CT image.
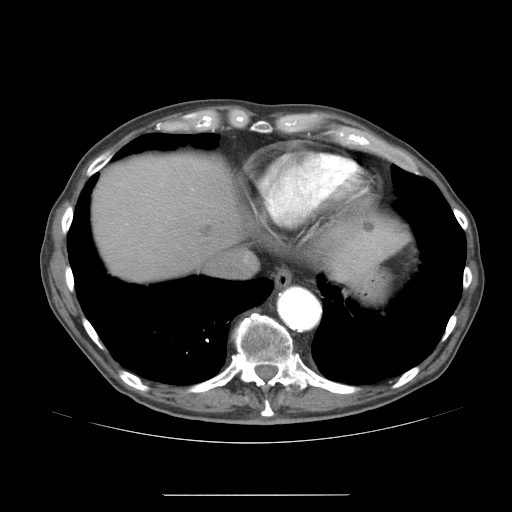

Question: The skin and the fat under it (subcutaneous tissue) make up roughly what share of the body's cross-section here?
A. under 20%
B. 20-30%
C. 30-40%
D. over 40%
Answer: A. under 20%
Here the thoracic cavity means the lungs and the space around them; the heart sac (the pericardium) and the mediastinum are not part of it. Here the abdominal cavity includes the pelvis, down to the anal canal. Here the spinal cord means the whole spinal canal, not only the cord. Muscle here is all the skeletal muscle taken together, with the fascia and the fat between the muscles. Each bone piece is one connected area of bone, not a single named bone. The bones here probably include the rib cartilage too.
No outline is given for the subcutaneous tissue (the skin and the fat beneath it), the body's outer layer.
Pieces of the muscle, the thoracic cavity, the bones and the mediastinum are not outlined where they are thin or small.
Outlines (x, y in pixels):
abdominal cavity 1: (187, 144) (204, 148) (217, 146) (227, 150) (238, 162) (230, 174) (230, 191) (239, 220) (251, 239) (220, 251) (207, 259) (195, 271) (195, 275) (180, 279) (144, 286) (126, 283) (108, 275) (94, 247) (89, 224) (90, 194) (98, 171) (108, 162) (133, 152)
abdominal cavity 2: (379, 204) (380, 206) (391, 206) (407, 220) (415, 234) (421, 251) (419, 273) (393, 301) (384, 317) (373, 311) (358, 307) (351, 300) (348, 300) (343, 305) (340, 290) (326, 282) (321, 274) (314, 281) (312, 271) (296, 256) (310, 240) (322, 231) (355, 212) (378, 206)
torso: (205, 98) (339, 107) (409, 143) (444, 175) (474, 217) (485, 284) (465, 337) (451, 363) (437, 379) (393, 402) (348, 416) (290, 424) (229, 424) (175, 417) (142, 405) (116, 390) (84, 355) (53, 314) (41, 281) (39, 253) (49, 211) (80, 158) (100, 138) (145, 112)
bones 1: (253, 312) (267, 315) (284, 326) (294, 350) (309, 368) (329, 380) (360, 389) (336, 393) (312, 385) (302, 390) (291, 385) (288, 390) (279, 382) (262, 387) (242, 381) (238, 373) (224, 385) (187, 392) (188, 386) (212, 378) (230, 363) (235, 351) (230, 334) (238, 322); inner edge: (259, 365) (270, 365) (271, 366) (275, 366) (276, 367) (277, 367) (277, 372) (271, 378) (270, 378) (269, 379) (268, 379) (267, 380) (264, 380) (262, 378) (261, 378) (256, 373) (256, 372) (255, 371) (255, 367) (256, 366) (258, 366)
bones 2: (233, 108) (244, 111) (251, 123) (265, 120) (272, 124) (276, 118) (294, 113) (321, 114) (324, 121) (310, 133) (285, 133) (276, 130) (261, 133) (232, 127) (223, 119) (221, 128) (215, 131) (156, 131) (154, 127) (158, 122) (176, 120) (189, 112) (212, 109) (224, 114)
bones 3: (333, 123) (342, 124) (365, 131) (381, 139) (392, 147) (402, 151) (413, 160) (423, 175) (417, 175) (409, 172) (401, 168) (395, 163) (393, 163) (391, 161) (374, 153) (357, 148) (344, 146) (339, 143) (331, 141) (327, 136) (321, 135) (321, 133) (323, 131) (330, 128)
bones 4: (120, 369) (124, 369) (125, 370) (127, 370) (129, 372) (138, 376) (141, 379) (142, 382) (144, 384) (147, 385) (149, 387) (149, 389) (147, 391) (143, 391) (142, 390) (137, 389) (136, 388) (127, 384) (122, 379) (121, 379) (121, 378) (118, 374) (118, 371)
bones 5: (106, 150) (110, 150) (113, 153) (114, 153) (114, 154) (109, 160) (109, 161) (108, 161) (107, 163) (105, 164) (105, 165) (104, 165) (99, 170) (95, 172) (89, 177) (86, 174) (86, 171) (88, 167) (90, 165) (90, 164) (100, 154) (101, 154)
bones 6: (83, 316) (84, 316) (92, 325) (95, 331) (97, 333) (99, 337) (99, 339) (106, 348) (106, 350) (102, 350) (100, 348) (99, 348) (98, 346) (88, 335) (87, 332) (85, 330) (82, 324) (82, 321) (81, 320) (81, 318)
bones 7: (417, 365) (419, 366) (420, 369) (417, 373) (417, 374) (413, 378) (412, 378) (409, 381) (406, 382) (404, 384) (398, 387) (396, 387) (395, 388) (391, 388) (391, 386) (392, 384) (393, 384) (397, 380) (399, 376) (400, 376) (406, 371) (409, 370) (411, 368)
bones 8: (69, 205) (70, 205) (73, 207) (73, 216) (72, 217) (72, 220) (71, 221) (71, 224) (69, 227) (69, 229) (68, 230) (66, 235) (64, 235) (62, 232) (62, 228) (61, 227) (61, 218) (62, 217) (62, 215) (63, 214) (65, 209)
bones 9: (453, 313) (454, 313) (457, 317) (456, 319) (456, 323) (452, 331) (449, 334) (447, 338) (444, 341) (442, 342) (440, 342) (440, 340) (445, 331) (445, 328) (448, 322) (448, 320) (451, 316) (451, 315)
bones 10: (452, 208) (457, 208) (458, 209) (461, 210) (465, 214) (465, 215) (467, 218) (467, 227) (465, 230) (463, 230) (463, 229) (460, 226) (459, 223) (457, 221) (457, 220) (456, 219) (456, 218) (455, 217) (455, 216) (453, 213) (453, 211) (452, 210)
bones 11: (67, 265) (69, 265) (70, 266) (70, 267) (71, 268) (71, 271) (73, 274) (73, 279) (74, 280) (74, 292) (72, 292) (71, 291) (70, 291) (70, 290) (68, 288) (68, 287) (67, 286) (67, 284) (66, 283) (66, 281) (65, 280) (65, 268)
bones 12: (265, 398) (267, 398) (267, 399) (268, 400) (268, 401) (269, 402) (269, 405) (270, 406) (270, 407) (271, 408) (271, 409) (273, 411) (273, 415) (272, 416) (263, 416) (262, 415) (261, 415) (261, 412) (264, 409) (264, 407) (265, 406) (265, 405) (264, 404) (264, 399)
pericardium: (287, 141) (321, 144) (343, 150) (357, 156) (374, 168) (382, 177) (383, 197) (378, 205) (355, 211) (322, 230) (310, 239) (306, 245) (303, 246) (296, 254) (277, 255) (266, 251) (246, 232) (236, 210) (232, 196) (231, 174) (240, 160) (247, 157) (254, 151) (275, 142)
muscle: (212, 105) (239, 105) (259, 118) (280, 111) (324, 111) (355, 120) (426, 165) (463, 211) (450, 206) (408, 154) (381, 138) (335, 122) (320, 134) (311, 132) (324, 123) (321, 113) (287, 113) (271, 123) (265, 119) (251, 122) (249, 115) (236, 107) (224, 113) (206, 108) (158, 121) (155, 131) (134, 137) (115, 153) (110, 149) (100, 153) (85, 171) (88, 178) (74, 207) (69, 204) (60, 218) (61, 232) (67, 238) (66, 286) (70, 292) (75, 291) (87, 335) (123, 368) (117, 371) (120, 379) (143, 392) (150, 387) (142, 380) (187, 386) (187, 393) (201, 393) (226, 385) (238, 374) (244, 383) (262, 388) (279, 383) (288, 391) (291, 386) (299, 391) (312, 386) (336, 394) (353, 394) (362, 385) (396, 377) (390, 388) (398, 388) (418, 374) (419, 364) (448, 338) (457, 323) (454, 311) (462, 290) (468, 288) (473, 277) (466, 264) (464, 231) (468, 218) (478, 282) (466, 322) (446, 360) (434, 372) (396, 393) (327, 411) (276, 417) (259, 417) (243, 410) (199, 412) (158, 402) (126, 388) (78, 339) (59, 313) (49, 283) (49, 248) (56, 210) (86, 163) (126, 134) (163, 116) with a hole at (265, 398) (267, 398) (267, 399) (268, 400) (268, 401) (269, 402) (269, 405) (270, 406) (270, 407) (271, 408) (271, 409) (273, 411) (273, 415) (272, 416) (263, 416) (262, 415) (261, 415) (261, 412) (264, 409) (264, 407) (265, 406) (265, 405) (264, 404) (264, 399)
thoracic cavity 1: (97, 172) (89, 194) (88, 224) (93, 247) (108, 276) (144, 287) (191, 276) (272, 281) (264, 301) (231, 320) (230, 326) (234, 326) (229, 339) (234, 351) (229, 363) (212, 377) (189, 385) (142, 379) (111, 355) (85, 316) (75, 290) (67, 234) (80, 192)
thoracic cavity 2: (392, 164) (429, 179) (451, 208) (466, 243) (462, 289) (439, 341) (418, 364) (377, 383) (343, 383) (309, 367) (295, 348) (310, 353) (322, 318) (324, 297) (318, 276) (339, 290) (343, 306) (351, 301) (384, 318) (420, 273) (422, 251) (416, 234) (392, 207) (398, 198)
thoracic cavity 3: (152, 132) (179, 133) (180, 134) (215, 133) (218, 135) (218, 139) (216, 145) (211, 147) (198, 146) (193, 145) (191, 143) (187, 143) (183, 145) (169, 148) (150, 147) (142, 149) (139, 151) (133, 151) (127, 153) (111, 161) (110, 160) (116, 152) (131, 140) (142, 134)
mediastinum 1: (248, 240) (253, 240) (270, 254) (295, 255) (311, 271) (313, 281) (323, 298) (321, 318) (309, 353) (296, 349) (287, 328) (267, 314) (253, 311) (231, 326) (238, 314) (265, 301) (274, 286) (271, 279) (260, 276) (249, 280) (230, 280) (196, 275) (196, 271) (207, 260)
mediastinum 2: (233, 128) (261, 134) (274, 131) (285, 134) (315, 133) (344, 147) (379, 156) (392, 163) (390, 174) (393, 192) (397, 198) (391, 205) (380, 205) (384, 197) (384, 179) (381, 174) (357, 155) (321, 143) (275, 141) (238, 161) (227, 149) (218, 147) (217, 133) (201, 132)
spinal cord: (259, 365) (270, 365) (271, 366) (275, 366) (276, 367) (277, 367) (277, 372) (271, 378) (270, 378) (269, 379) (268, 379) (267, 380) (264, 380) (262, 378) (261, 378) (256, 373) (256, 372) (255, 371) (255, 367) (256, 366) (258, 366)